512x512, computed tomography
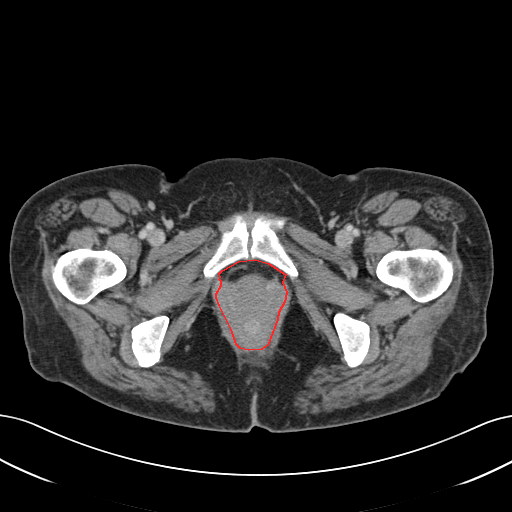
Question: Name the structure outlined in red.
Answer: red: abdominal cavity.
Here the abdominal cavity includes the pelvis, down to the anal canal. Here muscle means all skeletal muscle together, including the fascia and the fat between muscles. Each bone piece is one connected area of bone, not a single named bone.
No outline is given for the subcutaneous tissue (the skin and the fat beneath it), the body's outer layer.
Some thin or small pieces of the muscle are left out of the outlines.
Outlines:
abdominal cavity: 255,259 268,263 285,274 282,282 286,292 284,302 278,312 277,319 267,345 261,349 248,350 240,348 236,344 231,329 219,305 216,297 216,293 221,285 221,281 219,279 220,277 219,273 222,270 238,261
bones 1: 237,212 244,215 249,230 259,214 273,219 285,219 283,227 278,229 276,233 297,269 297,277 291,280 274,265 257,258 238,260 226,266 214,277 210,279 204,277 204,265 213,255 222,231 232,227 231,217
bones 2: 414,248 437,249 445,254 453,264 453,276 451,282 446,290 436,298 424,303 423,302 416,301 407,293 399,288 395,288 383,283 379,280 375,272 377,263 384,254 391,250 405,250 406,249 413,249
bones 3: 77,248 91,248 96,250 108,249 117,254 121,258 127,269 127,272 125,277 120,282 101,291 88,302 84,304 77,304 66,298 55,286 52,280 52,275 51,274 51,267 55,263 57,258 64,252 73,250
bones 4: 158,315 167,315 169,317 169,323 165,332 160,348 160,352 161,353 160,355 160,359 158,362 149,367 141,367 136,363 136,360 131,348 131,342 132,341 131,338 131,329 138,323 146,319 149,319
bones 5: 340,311 354,318 364,321 368,324 370,329 369,332 370,342 369,343 369,348 367,354 363,362 354,367 350,367 343,359 343,351 339,341 339,338 337,332 333,323 333,317 334,315 337,312
torso: 269,156 305,162 330,175 375,166 430,173 459,184 477,200 493,246 487,334 476,357 438,397 340,426 225,432 124,412 32,369 9,271 13,222 29,196 59,178 103,166 147,164 176,180 207,160
muscle: 87,186 126,190 173,234 231,215 202,274 218,274 215,297 243,350 268,345 283,281 299,272 277,233 286,219 259,213 249,229 239,212 273,212 326,237 383,191 446,196 464,214 455,232 463,264 455,306 415,379 378,399 299,413 293,397 328,348 295,296 264,382 252,387 209,295 165,363 205,376 215,410 123,392 85,370 41,279 35,216; inner edges: 414,248 437,249 445,254 453,264 453,276 451,282 446,290 436,298 424,303 423,302 416,301 407,293 399,288 395,288 383,283 379,280 375,272 377,263 384,254 391,250 405,250 406,249 413,249, then 77,248 91,248 96,250 108,249 117,254 121,258 127,269 127,272 125,277 120,282 101,291 88,302 84,304 77,304 66,298 55,286 52,280 52,275 51,274 51,267 55,263 57,258 64,252 73,250, then 158,315 167,315 169,317 169,323 165,332 160,348 160,352 161,353 160,355 160,359 158,362 149,367 141,367 136,363 136,360 131,348 131,342 132,341 131,338 131,329 138,323 146,319 149,319, then 340,311 354,318 364,321 368,324 370,329 369,332 370,342 369,343 369,348 367,354 363,362 354,367 350,367 343,359 343,351 339,341 339,338 337,332 333,323 333,317 334,315 337,312